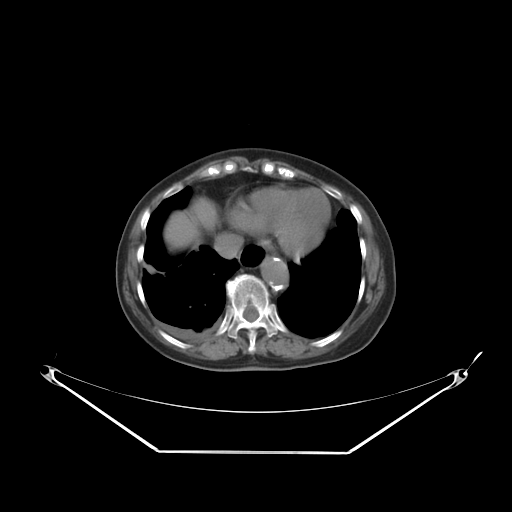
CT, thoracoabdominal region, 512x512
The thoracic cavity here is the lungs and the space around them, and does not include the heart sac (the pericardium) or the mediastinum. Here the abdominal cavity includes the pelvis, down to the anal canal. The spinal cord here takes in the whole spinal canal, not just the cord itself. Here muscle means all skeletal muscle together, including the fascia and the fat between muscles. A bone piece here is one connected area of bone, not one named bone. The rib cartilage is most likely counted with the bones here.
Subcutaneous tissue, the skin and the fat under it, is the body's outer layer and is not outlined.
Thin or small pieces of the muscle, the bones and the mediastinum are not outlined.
Outlines:
spinal cord: (249, 306) (251, 306) (252, 307) (255, 308) (255, 309) (257, 311) (257, 312) (258, 313) (258, 316) (254, 320) (253, 320) (252, 321) (249, 321) (248, 320) (247, 320) (244, 317) (244, 316) (243, 315) (243, 313) (244, 312) (245, 309) (247, 307) (248, 307)
muscle 1: (166, 188) (161, 196) (162, 200) (155, 209) (151, 213) (150, 208) (146, 207) (140, 216) (140, 228) (145, 231) (146, 238) (145, 243) (141, 242) (135, 252) (136, 260) (141, 263) (141, 280) (137, 280) (135, 284) (142, 306) (147, 308) (152, 319) (161, 328) (157, 332) (166, 341) (181, 349) (190, 348) (214, 334) (220, 336) (226, 332) (230, 338) (235, 339) (241, 329) (247, 330) (247, 351) (250, 354) (256, 349) (257, 330) (260, 328) (265, 330) (269, 338) (278, 332) (287, 333) (289, 330) (306, 338) (319, 338) (309, 343) (317, 348) (324, 347) (342, 334) (343, 330) (338, 328) (364, 294) (366, 278) (361, 275) (361, 265) (366, 258) (367, 248) (365, 239) (358, 235) (357, 229) (357, 225) (362, 223) (362, 214) (356, 204) (350, 203) (348, 208) (342, 203) (343, 195) (337, 188) (358, 202) (370, 219) (379, 253) (383, 254) (384, 292) (372, 313) (351, 335) (334, 348) (312, 357) (279, 360) (258, 354) (243, 354) (233, 360) (210, 360) (177, 351) (150, 333) (133, 314) (122, 291) (124, 261) (127, 258) (129, 235) (133, 224) (140, 211) (154, 196)
muscle 2: (230, 156) (243, 156) (250, 161) (259, 158) (282, 161) (288, 163) (336, 187) (330, 184) (329, 184) (323, 184) (320, 188) (314, 183) (296, 177) (297, 173) (294, 170) (285, 166) (275, 165) (270, 161) (264, 162) (260, 166) (260, 171) (256, 172) (250, 165) (245, 165) (241, 168) (241, 170) (237, 171) (238, 164) (232, 160) (226, 160) (221, 164) (209, 165) (202, 169) (198, 174) (201, 178) (203, 178) (185, 186) (181, 181) (176, 181) (185, 177) (209, 161)
bones 1: (240, 274) (251, 274) (265, 284) (270, 300) (275, 303) (278, 315) (288, 329) (287, 332) (278, 331) (269, 337) (263, 327) (258, 328) (252, 353) (248, 351) (247, 329) (239, 329) (235, 338) (226, 331) (215, 334) (223, 319) (225, 306) (230, 302) (225, 283); inner edge: (249, 306) (251, 306) (252, 307) (255, 308) (255, 309) (257, 311) (257, 312) (258, 313) (258, 316) (254, 320) (253, 320) (252, 321) (249, 321) (248, 320) (247, 320) (244, 317) (244, 316) (243, 315) (243, 313) (244, 312) (245, 309) (247, 307) (248, 307)
bones 2: (226, 161) (232, 161) (235, 162) (237, 164) (237, 168) (235, 172) (233, 173) (228, 173) (227, 174) (224, 172) (221, 172) (218, 175) (207, 176) (206, 177) (201, 177) (199, 175) (200, 172) (202, 170) (207, 168) (209, 166) (212, 166) (213, 165) (221, 165)
bones 3: (266, 162) (270, 162) (275, 166) (281, 166) (282, 167) (285, 167) (286, 168) (288, 168) (294, 171) (296, 173) (296, 175) (295, 177) (293, 178) (283, 178) (281, 177) (277, 173) (276, 171) (275, 171) (271, 175) (268, 175) (267, 174) (265, 174) (261, 171) (261, 166)
bones 4: (338, 329) (341, 329) (342, 330) (342, 332) (341, 334) (337, 338) (336, 338) (331, 342) (326, 344) (324, 346) (322, 346) (321, 347) (317, 347) (316, 346) (314, 346) (310, 344) (310, 343) (312, 341) (314, 341) (320, 338) (325, 337)
bones 5: (159, 329) (160, 329) (164, 332) (167, 333) (172, 337) (173, 337) (178, 340) (180, 340) (181, 341) (184, 342) (186, 344) (191, 345) (191, 346) (190, 347) (188, 347) (187, 348) (181, 348) (180, 347) (169, 342) (167, 340) (166, 340) (158, 332) (158, 330)
bones 6: (176, 182) (181, 182) (184, 185) (184, 187) (181, 190) (180, 190) (178, 192) (177, 192) (176, 193) (175, 193) (174, 194) (173, 194) (172, 195) (171, 195) (166, 198) (164, 198) (163, 199) (162, 198) (162, 196) (163, 195) (164, 192) (170, 186) (171, 186)
bones 7: (323, 185) (330, 185) (331, 186) (332, 186) (333, 187) (336, 188) (341, 193) (341, 194) (342, 195) (342, 199) (341, 200) (338, 200) (337, 199) (336, 199) (334, 197) (331, 196) (329, 194) (326, 193) (321, 188) (321, 187)
bones 8: (146, 208) (149, 208) (150, 210) (150, 215) (149, 216) (149, 218) (148, 219) (148, 221) (147, 222) (147, 224) (146, 225) (146, 228) (145, 230) (142, 230) (141, 228) (141, 225) (140, 224) (140, 221) (141, 220) (141, 216) (144, 210)
bones 9: (350, 204) (354, 204) (355, 205) (356, 205) (356, 206) (358, 208) (358, 209) (359, 210) (359, 211) (361, 214) (361, 223) (360, 224) (357, 224) (357, 222) (356, 221) (356, 220) (355, 219) (354, 216) (350, 211) (350, 210) (349, 209) (349, 206) (350, 205)
bones 10: (137, 281) (140, 281) (141, 282) (141, 286) (142, 287) (142, 290) (143, 291) (143, 294) (144, 295) (144, 297) (145, 298) (145, 301) (147, 304) (146, 307) (143, 306) (143, 305) (139, 298) (139, 296) (138, 295) (138, 293) (137, 292) (137, 285) (136, 284) (137, 283)
bones 11: (361, 276) (363, 276) (365, 278) (365, 286) (364, 287) (364, 290) (363, 291) (363, 294) (362, 295) (362, 297) (361, 298) (360, 301) (358, 303) (356, 303) (356, 302) (357, 301) (357, 298) (358, 297) (358, 293) (359, 292) (359, 287) (360, 286) (360, 281) (361, 280)
bones 12: (359, 237) (362, 237) (364, 239) (364, 241) (365, 242) (365, 247) (366, 248) (366, 253) (365, 254) (365, 258) (364, 259) (364, 260) (362, 260) (362, 258) (361, 257) (361, 250) (360, 249) (360, 244) (359, 243)
thoracic cavity 1: (188, 185) (192, 193) (186, 205) (172, 209) (161, 226) (161, 241) (165, 252) (171, 258) (177, 258) (207, 246) (224, 259) (235, 259) (239, 265) (224, 283) (229, 302) (224, 306) (219, 325) (209, 338) (195, 344) (172, 336) (153, 319) (141, 281) (150, 216) (164, 199)
thoracic cavity 2: (344, 209) (349, 210) (356, 222) (360, 250) (360, 280) (356, 301) (349, 315) (337, 329) (322, 337) (306, 337) (290, 330) (286, 326) (279, 315) (276, 302) (290, 285) (289, 262) (299, 265) (302, 258) (315, 250) (323, 242) (328, 232) (337, 226) (338, 213)
mediastinum 1: (223, 226) (240, 237) (273, 253) (278, 258) (285, 261) (291, 261) (287, 264) (289, 285) (275, 302) (271, 300) (268, 287) (259, 277) (251, 273) (240, 273) (231, 277) (240, 266) (238, 261) (235, 258) (224, 258) (213, 248) (208, 246) (211, 240) (217, 238) (222, 233)
mediastinum 2: (238, 171) (244, 171) (251, 173) (261, 172) (268, 176) (283, 179) (298, 178) (314, 184) (271, 179) (257, 180) (238, 187) (229, 195) (222, 205) (215, 197) (210, 195) (206, 191) (197, 191) (193, 194) (193, 190) (190, 185) (204, 178) (221, 177) (228, 174) (233, 174)
mediastinum 3: (331, 197) (334, 198) (338, 201) (340, 201) (341, 203) (343, 204) (343, 205) (345, 206) (346, 208) (347, 208) (341, 209) (337, 213) (337, 215) (336, 216) (336, 226) (335, 227) (334, 227) (334, 226) (335, 225) (335, 218) (336, 217) (336, 208) (337, 206) (333, 201)
pericardium: (263, 180) (295, 182) (314, 185) (327, 194) (336, 206) (333, 227) (327, 232) (322, 242) (315, 249) (302, 257) (299, 260) (299, 263) (292, 261) (290, 259) (285, 260) (278, 257) (273, 252) (240, 236) (234, 231) (225, 227) (223, 224) (223, 205) (230, 195) (242, 186)
abdominal cavity: (197, 192) (206, 192) (221, 204) (223, 225) (221, 228) (221, 233) (217, 237) (211, 239) (207, 245) (201, 245) (197, 251) (192, 251) (187, 255) (171, 257) (166, 252) (162, 241) (161, 234) (162, 226) (168, 214) (172, 210) (184, 208) (187, 205) (192, 194) (193, 195)
torso: (237, 146) (276, 148) (319, 161) (353, 182) (376, 208) (394, 250) (396, 296) (387, 320) (371, 342) (360, 351) (338, 361) (305, 368) (280, 371) (211, 371) (163, 356) (150, 347) (128, 323) (116, 295) (114, 265) (117, 245) (132, 208) (152, 185) (176, 168) (208, 153)